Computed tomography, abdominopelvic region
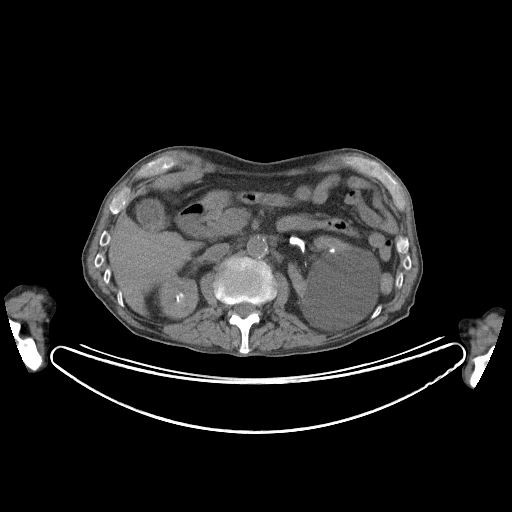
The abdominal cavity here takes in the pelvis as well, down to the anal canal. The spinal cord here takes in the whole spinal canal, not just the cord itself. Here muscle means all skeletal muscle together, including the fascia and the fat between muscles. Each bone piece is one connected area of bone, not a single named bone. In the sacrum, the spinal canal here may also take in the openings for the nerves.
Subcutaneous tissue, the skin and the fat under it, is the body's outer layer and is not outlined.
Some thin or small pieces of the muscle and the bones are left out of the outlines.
The torso is outlined by 180,144 213,147 260,162 339,147 361,149 380,158 400,177 413,203 423,258 423,274 409,315 384,329 335,349 278,357 238,357 204,353 153,341 132,333 88,287 82,274 82,249 105,194 121,175 148,153. The abdominal cavity is outlined by 344,168 375,180 399,219 391,295 346,331 318,331 287,311 290,286 286,276 246,255 232,255 217,271 205,272 199,288 206,305 177,322 150,321 130,311 111,280 106,250 119,213 139,186 173,169 270,178. The left arm is outlined by 496,305 504,308 503,319 499,332 495,343 493,344 493,349 487,365 479,381 474,387 470,388 464,384 461,377 462,362 466,354 466,350 464,349 464,346 461,343 457,324 459,320 463,317 479,316 490,307. The muscle appears in 4 outlined pieces: piece 1: 170,150 185,150 213,163 229,168 262,173 312,165 332,154 355,152 367,157 341,155 341,161 350,167 270,177 201,171 189,168 173,168 139,185 133,191 132,199 129,203 128,200 131,193 131,187 129,185 124,185 111,199 108,209 113,215 118,214 111,234 104,229 99,236 98,244 101,247 106,246 105,257 102,253 98,252 94,256 93,265 95,268 99,268 105,261 107,267 103,271 102,280 107,285 111,281 117,289 117,303 123,308 126,306 130,312 150,322 165,324 181,322 207,305 200,288 200,280 205,273 213,270 215,272 212,282 213,294 217,300 228,306 227,322 230,325 236,326 240,331 241,339 238,351 236,349 224,349 217,345 202,346 190,344 131,325 118,313 113,302 100,289 88,272 87,257 89,248 109,196 116,187 139,167 133,177 135,179 143,179 161,174 176,166 179,161 172,155 163,155 151,159; piece 2: 373,178 387,189 399,211 403,211 406,205 401,186 410,206 418,270 410,293 401,308 392,312 383,323 338,341 295,350 250,352 248,341 250,329 261,320 261,306 272,301 278,292 273,273 276,271 285,276 289,286 285,310 294,314 313,330 326,334 339,334 380,314 382,304 392,295 397,256 395,237 400,229 400,219 386,199 380,184, around holes outlined by 400,236 404,236 406,237 409,243 409,246 408,247 408,254 411,260 411,268 408,270 405,269 402,265 402,260 404,258 405,255 403,253 401,253 397,250 397,239 and by 400,272 402,272 402,273 403,274 403,281 402,282 402,285 401,286 401,287 400,288 398,288 397,287 396,287 396,286 395,285 395,278 396,277 396,276 397,275 397,274 398,273 399,273; piece 3: 27,289 43,291 46,298 45,305 48,315 47,316 47,321 45,324 45,353 43,356 43,363 42,364 43,358 38,350 35,340 30,335 23,335 22,325 19,321 8,317 8,313 4,301 6,299 17,295; piece 4: 493,312 498,312 503,315 503,319 501,322 497,338 495,341 495,343 485,353 478,354 472,359 473,369 469,376 468,382 465,376 465,370 469,361 469,356 471,353 470,340 468,336 468,329 477,321. The right arm is outlined by 22,283 38,283 45,285 56,301 56,310 49,324 49,349 48,350 49,360 46,367 43,370 36,373 30,373 28,371 27,366 19,352 16,344 16,341 10,327 8,313 4,301 5,294 16,285. The bones appear in 10 outlined pieces: piece 1: 232,256 246,256 265,262 269,266 276,282 277,292 275,297 260,306 260,320 249,329 247,339 249,352 247,353 239,351 242,339 241,331 236,325 228,322 229,306 217,299 214,294 213,282 216,272 220,264 with a hole at 243,302 246,302 247,303 250,303 255,306 255,309 252,312 251,312 249,314 248,314 245,317 242,317 241,316 240,316 237,313 235,313 233,311 233,309 232,308 235,304 238,304 239,303 242,303; piece 2: 341,156 358,156 359,157 371,159 378,162 399,183 401,194 405,201 405,205 403,208 403,210 399,210 398,209 394,203 394,200 390,192 381,181 375,177 372,177 369,175 362,173 350,166 346,165 342,161; piece 3: 9,318 20,323 21,325 21,333 23,336 30,336 34,340 37,350 42,358 41,365 38,368 36,369 32,369 28,367 25,364 21,356 21,354 19,352 19,350 16,344 16,341 12,333 10,324 9,323; piece 4: 163,156 172,156 174,157 178,161 176,165 161,173 158,173 155,175 151,175 148,177 144,177 143,178 135,178 134,177 135,175 135,173 140,168 140,167 141,167 147,162 151,160 154,160 159,157 162,157; piece 5: 493,345 494,345 493,346 493,349 491,352 487,365 481,377 479,379 479,381 477,382 476,385 474,387 472,387 469,383 469,380 470,379 470,376 474,369 474,362 473,361 473,359 478,355 485,354; piece 6: 124,186 129,186 130,187 130,193 129,194 129,197 127,200 127,203 126,204 125,207 124,207 118,213 117,213 116,214 113,214 110,211 110,210 109,209 109,205 110,204 110,203 111,202 112,199; piece 7: 400,236 404,236 406,237 409,243 409,246 408,247 408,254 411,260 411,268 408,270 405,269 402,265 402,260 404,258 405,255 403,253 401,253 397,250 397,239; piece 8: 104,230 106,230 109,233 109,234 110,235 110,236 111,237 110,238 110,241 109,242 109,243 107,245 106,245 105,246 101,246 99,244 99,239 100,238 100,236 101,235 101,234 102,233 102,232; piece 9: 98,253 100,253 101,254 102,254 104,256 104,257 105,258 105,260 104,261 104,262 99,267 95,267 95,266 94,265 94,259 95,258 95,256; piece 10: 379,304 380,304 381,305 381,310 380,311 380,312 379,313 379,314 378,315 377,315 374,318 370,318 370,316 372,314 372,313 374,311 374,310 376,308 376,307. The spinal cord is outlined by 243,302 246,302 247,303 250,303 255,306 255,309 252,312 251,312 249,314 248,314 245,317 242,317 241,316 240,316 237,313 235,313 233,311 233,309 232,308 235,304 238,304 239,303 242,303.